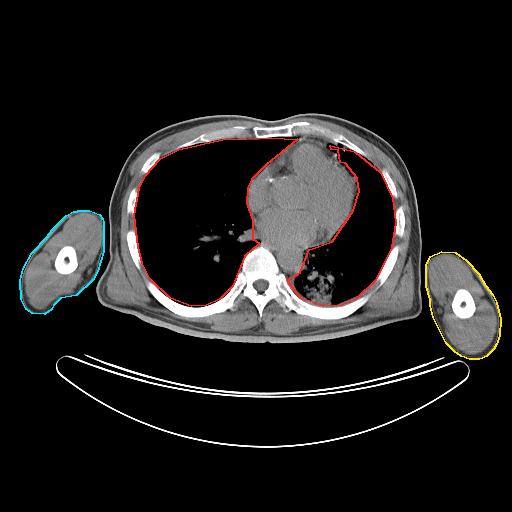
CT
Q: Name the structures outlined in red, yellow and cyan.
A: red: thoracic cavity; yellow: left arm; cyan: right arm.
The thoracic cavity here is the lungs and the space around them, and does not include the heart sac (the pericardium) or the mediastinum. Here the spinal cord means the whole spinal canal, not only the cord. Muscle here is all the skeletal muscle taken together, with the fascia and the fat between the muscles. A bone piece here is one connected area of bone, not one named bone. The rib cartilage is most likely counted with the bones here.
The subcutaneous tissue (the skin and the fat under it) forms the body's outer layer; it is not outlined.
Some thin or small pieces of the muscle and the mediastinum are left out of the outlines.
The thoracic cavity appears in 2 outlined pieces: piece 1: (271, 137) (297, 139) (265, 165) (251, 179) (247, 187) (246, 203) (252, 220) (252, 238) (259, 243) (244, 256) (232, 286) (219, 299) (206, 305) (191, 306) (170, 298) (150, 279) (142, 263) (138, 246) (134, 215) (139, 188) (145, 175) (160, 158) (178, 149) (222, 139); piece 2: (330, 145) (354, 151) (380, 172) (392, 198) (395, 222) (391, 247) (375, 280) (355, 299) (341, 305) (323, 306) (300, 298) (287, 280) (300, 272) (309, 249) (332, 241) (353, 210) (359, 191) (357, 178) (345, 163) (340, 162) (338, 150) (331, 149). The left arm is outlined by (441, 251) (455, 252) (466, 260) (478, 273) (485, 285) (492, 294) (496, 302) (500, 319) (499, 335) (496, 344) (493, 349) (486, 356) (482, 358) (479, 359) (469, 359) (461, 356) (454, 351) (446, 343) (433, 317) (430, 305) (430, 299) (426, 286) (426, 265) (430, 256). The right arm is outlined by (78, 210) (89, 210) (99, 214) (102, 218) (103, 222) (103, 251) (97, 271) (92, 280) (76, 295) (60, 298) (53, 305) (51, 309) (44, 314) (32, 313) (26, 309) (21, 299) (20, 280) (23, 268) (32, 252) (47, 236) (52, 229) (66, 215) (73, 211) (77, 211). The mediastinum appears in 2 outlined pieces: piece 1: (253, 222) (257, 232) (262, 236) (269, 238) (270, 240) (300, 248) (319, 245) (308, 249) (307, 257) (303, 261) (303, 265) (299, 272) (294, 277) (287, 279) (285, 274) (280, 270) (276, 258) (270, 250) (259, 244) (260, 242) (257, 239) (254, 240) (254, 232) (252, 230); piece 2: (300, 135) (311, 135) (321, 137) (337, 144) (336, 148) (332, 144) (330, 144) (328, 146) (333, 151) (337, 150) (337, 157) (336, 157) (335, 154) (332, 153) (321, 143) (317, 141) (314, 141) (311, 139) (300, 139) (299, 141) (297, 141) (298, 139) (296, 136). The torso is outlined by (302, 113) (329, 114) (359, 124) (390, 143) (404, 161) (413, 182) (421, 228) (422, 310) (418, 316) (332, 339) (250, 343) (185, 335) (152, 325) (98, 301) (95, 287) (109, 259) (110, 198) (126, 158) (141, 140) (160, 128) (200, 116) (237, 114) (261, 120) (280, 120). The muscle appears in 3 outlined pieces: piece 1: (297, 118) (324, 120) (350, 130) (379, 148) (400, 171) (407, 184) (406, 198) (410, 207) (407, 256) (411, 258) (413, 267) (414, 293) (410, 309) (339, 328) (288, 335) (260, 332) (257, 327) (223, 332) (182, 324) (137, 305) (116, 303) (108, 296) (106, 281) (116, 248) (120, 245) (122, 200) (132, 177) (128, 172) (132, 162) (153, 143) (179, 131) (211, 122) (246, 120) (263, 126) (234, 124) (211, 129) (179, 144) (161, 157) (158, 151) (153, 152) (142, 164) (139, 171) (144, 176) (138, 189) (133, 187) (130, 190) (126, 202) (126, 212) (133, 217) (134, 228) (128, 229) (125, 237) (135, 267) (140, 270) (143, 266) (149, 278) (145, 280) (149, 293) (165, 308) (184, 318) (234, 311) (238, 299) (244, 298) (255, 306) (260, 319) (271, 300) (275, 300) (286, 313) (293, 311) (320, 320) (345, 318) (363, 306) (372, 294) (368, 292) (359, 296) (374, 282) (377, 288) (380, 287) (397, 261) (400, 246) (392, 244) (394, 236) (401, 238) (404, 235) (404, 207) (395, 208) (393, 199) (398, 197) (398, 192) (386, 168) (380, 171) (367, 158) (368, 154) (341, 132) (307, 120) (285, 123); piece 2: (79, 213) (92, 214) (97, 217) (100, 223) (100, 245) (93, 261) (93, 264) (85, 278) (71, 292) (65, 293) (58, 296) (44, 308) (38, 309) (30, 304) (26, 294) (25, 289) (25, 274) (26, 270) (34, 257) (42, 251) (49, 240) (63, 228) (65, 223) (72, 216) with a hole at (65, 245) (71, 245) (73, 246) (75, 249) (75, 251) (76, 252) (76, 256) (77, 257) (77, 266) (76, 268) (72, 272) (68, 274) (62, 274) (61, 273) (59, 273) (56, 270) (54, 266) (54, 261) (55, 260) (55, 258) (59, 250) (63, 246); piece 3: (442, 254) (452, 255) (461, 260) (467, 266) (494, 310) (496, 317) (495, 332) (490, 343) (480, 352) (470, 354) (458, 349) (450, 341) (446, 334) (445, 325) (442, 322) (440, 313) (438, 312) (437, 300) (432, 292) (429, 277) (431, 261) (435, 257) with a hole at (459, 288) (464, 288) (466, 289) (471, 294) (473, 298) (474, 303) (475, 304) (475, 311) (474, 313) (470, 317) (468, 318) (460, 318) (456, 316) (456, 315) (454, 313) (452, 309) (452, 306) (451, 305) (452, 303) (452, 300) (455, 294) (455, 292). The spinal cord is outlined by (260, 279) (262, 279) (263, 280) (265, 280) (267, 282) (267, 283) (268, 284) (267, 285) (267, 287) (263, 291) (262, 291) (261, 292) (260, 292) (259, 291) (258, 291) (255, 288) (255, 287) (254, 286) (254, 282) (255, 281) (256, 281) (257, 280) (259, 280). The bones appear in 10 outlined pieces: piece 1: (259, 245) (269, 250) (292, 291) (305, 302) (331, 307) (368, 293) (370, 297) (354, 312) (338, 319) (286, 312) (275, 299) (264, 306) (260, 318) (247, 297) (238, 298) (234, 310) (201, 317) (176, 314) (150, 293) (147, 279) (177, 303) (206, 306) (231, 289) (245, 256); inner edge: (260, 279) (262, 279) (263, 280) (265, 280) (267, 282) (267, 283) (268, 284) (267, 285) (267, 287) (263, 291) (262, 291) (261, 292) (260, 292) (259, 291) (258, 291) (255, 288) (255, 287) (254, 286) (254, 282) (255, 281) (256, 281) (257, 280) (259, 280); piece 2: (294, 121) (307, 121) (341, 133) (363, 150) (367, 154) (367, 157) (327, 138) (311, 134) (300, 134) (295, 136) (271, 136) (265, 138) (222, 138) (196, 143) (176, 149) (179, 145) (195, 138) (202, 133) (215, 129) (234, 125) (247, 125) (250, 128) (255, 126) (276, 126); piece 3: (459, 288) (464, 288) (466, 289) (471, 294) (473, 298) (474, 303) (475, 304) (475, 311) (474, 313) (470, 317) (468, 318) (460, 318) (456, 316) (456, 315) (454, 313) (452, 309) (452, 306) (451, 305) (452, 303) (452, 300) (455, 294) (455, 292); piece 4: (65, 245) (71, 245) (73, 246) (75, 249) (75, 251) (76, 252) (76, 256) (77, 257) (77, 266) (76, 268) (72, 272) (68, 274) (62, 274) (61, 273) (59, 273) (56, 270) (54, 266) (54, 261) (55, 260) (55, 258) (59, 250) (63, 246); piece 5: (395, 245) (398, 245) (399, 246) (399, 250) (398, 251) (398, 254) (397, 255) (396, 261) (393, 266) (392, 270) (386, 278) (385, 281) (380, 286) (377, 287) (378, 283) (377, 282) (375, 282) (375, 281) (386, 261) (386, 259) (389, 254) (389, 252) (391, 248); piece 6: (130, 229) (134, 229) (134, 231) (135, 232) (135, 236) (136, 237) (136, 240) (137, 241) (137, 246) (138, 247) (139, 255) (140, 256) (140, 259) (141, 260) (141, 263) (142, 264) (140, 269) (138, 269) (136, 267) (131, 257) (131, 255) (128, 248) (126, 234) (128, 230); piece 7: (399, 206) (402, 206) (403, 207) (403, 211) (404, 212) (404, 217) (405, 218) (405, 224) (404, 225) (404, 229) (403, 230) (403, 235) (401, 237) (399, 237) (398, 236) (395, 235) (395, 223) (396, 222) (396, 218) (395, 217) (395, 211) (396, 210) (396, 208); piece 8: (133, 188) (136, 188) (138, 190) (138, 194) (137, 195) (137, 203) (136, 204) (136, 207) (135, 208) (135, 211) (134, 212) (134, 214) (133, 215) (133, 216) (132, 215) (129, 214) (127, 212) (127, 202) (128, 201) (128, 198) (129, 197) (130, 192) (131, 191) (131, 190); piece 9: (383, 168) (384, 168) (387, 170) (388, 173) (390, 175) (390, 176) (395, 185) (395, 188) (396, 189) (396, 191) (397, 192) (397, 197) (396, 198) (393, 198) (392, 197) (392, 196) (391, 195) (391, 194) (390, 193) (390, 192) (385, 183) (384, 178) (381, 173) (381, 170); piece 10: (155, 152) (158, 152) (160, 154) (160, 157) (159, 158) (159, 159) (155, 163) (155, 164) (145, 174) (143, 174) (142, 173) (141, 173) (141, 172) (140, 171) (141, 170) (141, 168) (142, 167) (142, 166) (143, 165) (143, 164) (145, 162) (145, 161) (153, 153) (154, 153). The pericardium is outlined by (300, 140) (311, 140) (317, 142) (335, 155) (339, 162) (345, 165) (349, 172) (355, 176) (358, 190) (353, 200) (352, 210) (348, 218) (335, 232) (331, 239) (329, 241) (307, 247) (290, 245) (262, 235) (254, 225) (247, 203) (247, 191) (252, 179) (288, 146) (299, 142).